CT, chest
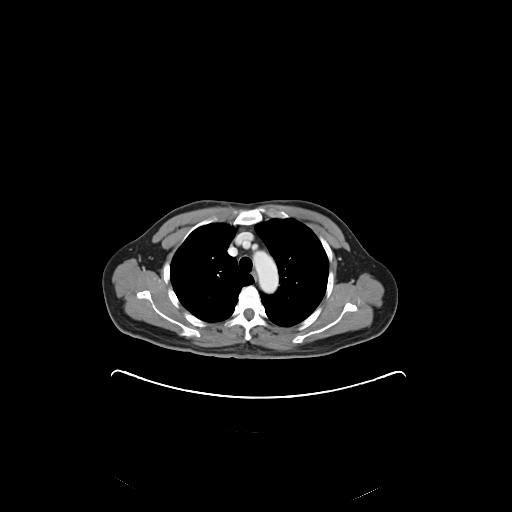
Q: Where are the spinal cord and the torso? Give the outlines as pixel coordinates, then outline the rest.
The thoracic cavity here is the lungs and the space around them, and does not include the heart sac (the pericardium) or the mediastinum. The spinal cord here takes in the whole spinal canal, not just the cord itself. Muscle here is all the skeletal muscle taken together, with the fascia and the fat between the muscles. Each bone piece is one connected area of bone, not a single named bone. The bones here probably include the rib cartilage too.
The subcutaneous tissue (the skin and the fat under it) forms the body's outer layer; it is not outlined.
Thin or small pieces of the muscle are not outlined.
A: The spinal cord is outlined by 246 309; 251 309; 253 311; 253 316; 250 319; 248 319; 247 318; 246 318; 245 317; 245 316; 244 315; 244 311. The torso is outlined by 200 199; 238 202; 267 199; 303 199; 328 208; 349 227; 363 247; 393 274; 398 287; 398 303; 390 324; 373 339; 331 354; 287 359; 206 356; 164 348; 121 332; 112 322; 103 297; 101 279; 105 264; 119 248; 137 238; 167 212. The muscle appears in 2 outlined pieces: piece 1: 267 204; 313 210; 338 226; 350 249; 335 251; 337 280; 351 285; 366 272; 384 288; 382 304; 375 309; 369 326; 293 351; 280 351; 249 342; 214 347; 193 344; 181 337; 199 338; 201 333; 161 311; 148 289; 137 291; 136 297; 146 299; 158 315; 178 326; 178 335; 125 313; 112 275; 123 261; 135 258; 142 269; 162 269; 164 283; 171 285; 166 291; 169 300; 176 308; 181 305; 185 309; 183 317; 194 327; 223 321; 226 328; 240 325; 249 341; 250 330; 259 325; 268 327; 268 320; 282 327; 296 325; 298 331; 310 326; 334 286; 335 273; 329 269; 333 250; 321 234; 284 210; 265 207; inner edge: 347 302; 350 302; 356 305; 357 309; 355 311; 346 311; 338 322; 321 332; 318 332; 307 336; 303 340; 303 342; 301 343; 293 343; 292 342; 292 339; 295 336; 297 335; 302 335; 310 331; 319 329; 335 320; 339 316; 345 303; piece 2: 213 206; 232 206; 240 208; 238 209; 236 216; 231 221; 226 222; 219 221; 219 218; 216 215; 213 215; 195 223; 182 236; 179 246; 175 250; 171 260; 165 260; 160 248; 151 240; 152 236; 163 223; 171 217; 180 213. The bones appear in 11 outlined pieces: piece 1: 248 285; 253 285; 259 293; 261 303; 264 307; 265 313; 268 318; 268 326; 259 324; 253 326; 249 330; 251 337; 249 340; 246 340; 244 337; 245 329; 240 324; 235 324; 226 327; 223 323; 231 316; 234 311; 241 289; 244 286; inner edge: 246 309; 251 309; 253 311; 253 316; 250 319; 248 319; 247 318; 246 318; 245 317; 245 316; 244 315; 244 311; piece 2: 259 206; 263 206; 267 209; 271 208; 278 211; 281 210; 284 211; 290 215; 290 217; 287 217; 286 218; 271 217; 268 218; 265 215; 263 220; 251 225; 237 225; 235 226; 229 223; 237 216; 239 209; 241 208; 243 209; 251 209; piece 3: 143 290; 148 290; 150 292; 151 298; 155 306; 161 312; 188 327; 196 329; 200 333; 200 336; 199 337; 194 335; 180 336; 178 334; 182 329; 178 325; 167 320; 158 314; 153 309; 151 303; 146 298; 137 297; 136 295; 137 292; piece 4: 347 302; 350 302; 356 305; 357 309; 355 311; 346 311; 338 322; 321 332; 318 332; 307 336; 303 340; 303 342; 301 343; 293 343; 292 342; 292 339; 295 336; 297 335; 302 335; 310 331; 319 329; 335 320; 339 316; 345 303; piece 5: 319 305; 320 305; 322 308; 321 309; 321 311; 320 312; 319 315; 317 317; 317 318; 310 325; 309 325; 307 327; 304 328; 302 330; 298 330; 297 329; 297 325; 303 320; 304 320; 307 317; 308 317; 316 309; 316 308; piece 6: 213 216; 216 216; 219 220; 218 221; 216 221; 215 222; 211 222; 210 223; 204 224; 203 225; 201 225; 197 227; 187 236; 187 237; 180 245; 181 243; 181 240; 183 236; 192 226; 202 220; 210 218; piece 7: 185 310; 188 311; 192 315; 195 316; 197 318; 198 318; 199 319; 200 319; 205 322; 207 322; 208 323; 208 324; 206 326; 205 326; 204 327; 200 327; 199 326; 194 326; 192 324; 191 324; 184 317; 184 315; 183 314; 183 313; piece 8: 329 270; 331 270; 334 273; 334 280; 333 281; 333 286; 332 287; 332 289; 331 290; 331 292; 330 293; 330 295; 329 296; 329 297; 326 298; 325 297; 325 292; 326 291; 326 287; 327 286; 327 281; 328 280; 328 274; 329 273; piece 9: 318 235; 321 235; 324 238; 324 239; 327 242; 327 243; 329 245; 329 246; 332 250; 332 254; 333 255; 332 256; 332 260; 331 261; 331 262; 329 262; 329 260; 328 259; 328 257; 326 254; 326 252; 325 251; 325 250; 318 237; piece 10: 167 260; 168 260; 169 261; 170 261; 170 267; 169 268; 169 282; 168 283; 168 284; 167 284; 166 283; 165 283; 165 282; 164 281; 164 280; 163 279; 163 269; 162 268; 163 267; 163 264; 164 263; 164 262; 165 261; 166 261; piece 11: 169 286; 171 286; 172 287; 172 288; 173 289; 173 290; 174 291; 174 292; 180 303; 180 306; 178 308; 177 307; 176 307; 172 303; 172 302; 170 300; 170 299; 168 296; 168 292; 167 291; 168 290; 168 288; 169 287. The thoracic cavity appears in 2 outlined pieces: piece 1: 216 222; 225 222; 236 227; 235 234; 226 251; 235 259; 238 269; 241 272; 249 274; 252 277; 253 282; 244 285; 240 289; 237 301; 229 317; 222 321; 208 322; 192 314; 181 304; 170 282; 170 268; 176 250; 188 236; 197 228; piece 2: 291 217; 310 228; 317 236; 325 252; 329 266; 324 295; 319 304; 308 316; 297 324; 282 326; 269 319; 261 300; 260 292; 269 295; 273 294; 277 290; 279 286; 279 274; 276 262; 267 246; 258 235; 255 225; 265 219; 286 219. The mediastinum is outlined by 252 225; 254 225; 254 229; 257 235; 266 246; 277 268; 278 286; 273 293; 268 294; 262 291; 259 292; 257 288; 252 284; 254 282; 253 277; 249 273; 241 271; 238 267; 236 259; 230 255; 227 251; 231 241; 236 234; 237 226.